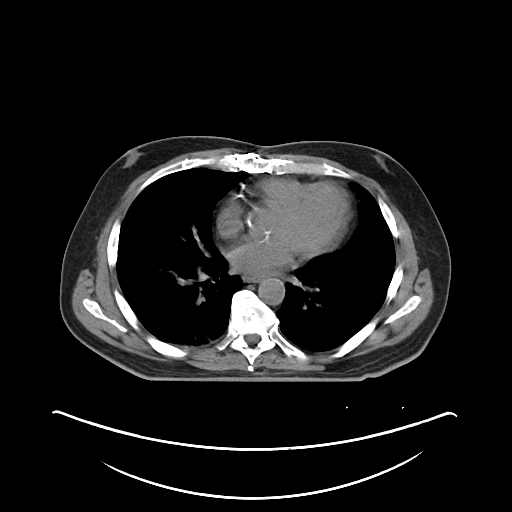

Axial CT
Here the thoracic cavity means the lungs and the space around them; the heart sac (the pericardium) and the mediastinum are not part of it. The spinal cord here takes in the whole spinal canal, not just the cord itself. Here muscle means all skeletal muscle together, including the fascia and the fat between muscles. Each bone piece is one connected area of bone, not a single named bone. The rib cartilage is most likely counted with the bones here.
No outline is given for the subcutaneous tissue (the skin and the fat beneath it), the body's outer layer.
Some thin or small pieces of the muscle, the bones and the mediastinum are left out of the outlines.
spinal cord: 247,334 257,334 259,336 259,337 260,338 259,339 259,340 255,344 254,344 253,345 249,345 247,343 247,342 245,340 245,339 244,338 244,336 245,335 246,335
torso: 180,135 223,136 259,145 302,140 346,141 379,149 403,165 429,200 445,234 451,259 445,311 423,351 383,375 361,381 161,381 144,379 118,367 74,337 60,313 60,273 68,239 96,182 106,168 128,149
muscle 1: 223,147 247,152 185,157 146,178 122,220 117,217 111,225 106,259 109,269 116,271 121,292 116,287 112,291 119,310 134,330 140,330 140,323 150,333 144,338 156,352 178,359 188,354 181,346 220,339 214,347 240,352 248,361 248,371 208,370 151,359 118,348 90,332 73,312 72,292 80,271 94,263 97,238 129,184 143,172 180,154 with a hole at 84,298 88,298 91,300 93,300 97,302 100,306 102,312 107,317 115,320 120,325 126,328 127,330 126,331 122,331 110,322 104,319 96,317 94,315 93,315 90,312 89,312 83,305 82,301
muscle 2: 285,153 328,158 374,179 403,215 411,230 419,263 429,269 434,296 425,319 400,342 345,359 322,371 253,371 255,359 275,347 287,357 302,361 311,358 306,352 335,348 328,355 330,359 346,355 374,331 381,319 376,313 384,301 388,304 396,296 404,276 403,264 396,265 394,245 401,231 384,199 380,195 375,198 349,173 325,161 262,156 with a hole at 413,295 418,295 421,297 421,300 420,302 414,309 413,309 410,312 403,315 399,318 397,318 395,319 393,321 389,323 384,323 384,321 391,314 392,314 397,309 398,309 411,296
mediastinum 1: 232,268 238,272 244,273 249,276 258,276 259,277 272,276 276,274 283,274 294,270 294,271 284,284 285,288 284,297 281,302 280,307 275,312 262,301 253,291 249,289 242,288 243,287 243,282 241,278
mediastinum 2: 315,175 339,177 340,178 353,180 357,183 351,183 350,186 356,192 361,202 359,208 360,224 349,239 354,229 355,222 356,221 356,216 357,215 355,199 352,193 348,187 342,181 331,177
mediastinum 3: 235,186 236,186 233,189 232,189 229,192 228,192 227,193 227,194 226,194 222,198 221,198 224,195 224,194 225,194 229,190 230,190 232,188 233,188
thoracic cavity 1: 203,166 224,172 244,171 248,173 247,177 223,194 214,204 211,212 212,240 240,278 242,287 231,296 227,327 221,338 198,345 177,346 157,338 146,329 122,293 116,270 121,222 132,202 147,186 169,174
thoracic cavity 2: 351,184 362,186 376,200 393,238 395,266 384,300 368,322 334,348 321,351 305,351 289,341 280,332 280,321 276,312 281,307 285,297 285,284 295,270 304,267 318,256 341,248 360,226 360,208 362,202
pericardium: 268,174 290,176 314,175 331,178 342,182 347,187 354,199 356,212 354,226 348,239 333,251 318,255 303,265 283,273 262,276 249,275 232,267 216,245 214,239 214,216 216,207 221,199 242,182 251,177
bones 1: 241,289 253,292 275,313 279,321 279,332 289,342 304,351 310,357 308,360 287,356 278,346 275,346 261,352 253,361 253,370 249,371 247,369 249,361 240,351 229,346 222,350 215,347 227,331 232,296; inner edge: 247,334 257,334 259,336 259,337 260,338 259,339 259,340 255,344 254,344 253,345 249,345 247,343 247,342 245,340 245,339 244,338 244,336 245,335 246,335
bones 2: 248,152 258,154 265,158 293,159 300,162 325,162 346,172 352,177 351,179 314,173 250,173 244,170 229,171 224,168 218,169 203,165 164,175 135,195 140,185 153,173 174,162 185,158 205,158 213,155
bones 3: 375,316 378,316 380,318 380,319 378,323 374,328 373,331 362,342 361,342 349,352 340,357 335,357 334,358 330,358 329,357 329,355 333,353 336,350 336,348 337,347 340,346 358,331 359,331
bones 4: 150,334 154,336 157,339 163,342 165,342 166,343 174,345 177,347 179,347 182,349 185,349 187,350 187,354 185,356 179,357 178,358 161,354 159,352 156,351 147,342 145,338 147,335 149,335
bones 5: 117,218 118,218 120,220 120,229 119,230 118,243 117,244 117,258 116,259 115,267 112,269 110,269 109,265 108,264 108,260 107,259 107,243 108,242 108,238 109,237 109,234 110,233 112,225 114,221
bones 6: 115,288 116,288 122,294 122,295 126,300 127,303 138,319 139,321 139,330 138,331 133,328 133,327 127,321 127,320 123,315 122,312 120,310 116,302 115,296 114,295 114,292 113,291
bones 7: 84,298 88,298 91,300 93,300 97,302 100,306 102,312 107,317 115,320 120,325 126,328 127,330 126,331 122,331 110,322 104,319 96,317 94,315 93,315 90,312 89,312 83,305 82,301
bones 8: 413,295 418,295 421,297 421,300 420,302 414,309 413,309 410,312 403,315 399,318 397,318 395,319 393,321 389,323 384,323 384,321 391,314 392,314 397,309 398,309 411,296
bones 9: 378,196 380,196 383,199 383,200 387,204 393,214 393,216 395,219 395,223 396,224 396,226 400,231 400,235 399,237 397,238 394,238 392,236 392,234 389,229 389,227 382,214 381,209 376,199
bones 10: 399,263 401,263 402,264 402,267 403,268 403,276 402,277 402,280 397,289 397,291 395,294 395,296 388,303 387,303 385,301 386,293 387,292 389,284 391,281 391,279 392,278 392,276 393,275 395,267